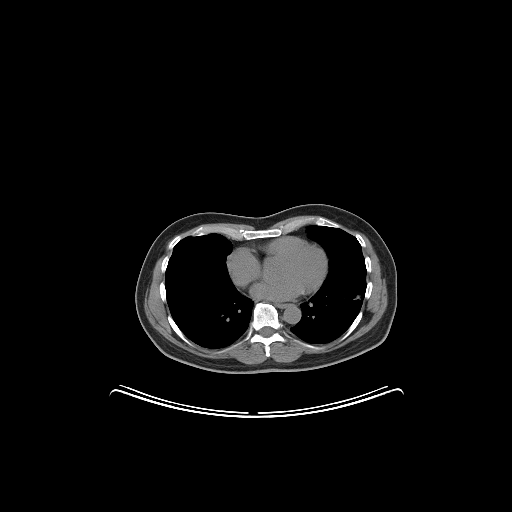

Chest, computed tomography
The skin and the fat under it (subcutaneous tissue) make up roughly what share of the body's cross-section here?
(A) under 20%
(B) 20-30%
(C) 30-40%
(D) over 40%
Answer: (B) 20-30%
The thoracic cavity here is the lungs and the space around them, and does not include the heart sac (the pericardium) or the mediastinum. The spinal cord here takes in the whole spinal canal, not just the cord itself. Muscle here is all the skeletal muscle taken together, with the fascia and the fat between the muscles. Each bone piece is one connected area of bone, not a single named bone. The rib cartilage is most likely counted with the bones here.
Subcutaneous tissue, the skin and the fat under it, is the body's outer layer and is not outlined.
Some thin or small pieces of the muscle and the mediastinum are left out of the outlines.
spinal cord: [[266,326],[268,326],[269,327],[271,327],[274,330],[274,332],[271,335],[270,335],[269,336],[268,336],[267,337],[266,337],[265,336],[263,336],[262,335],[261,335],[259,333],[259,331],[260,330],[260,329],[261,329],[263,327],[265,327]]
thoracic cavity 1: [[213,233],[223,235],[231,242],[232,250],[226,257],[226,268],[229,277],[236,289],[252,301],[253,307],[252,319],[249,321],[246,332],[240,340],[222,349],[207,350],[194,345],[173,319],[167,303],[165,273],[172,250],[182,239],[188,236],[203,236]]
thoracic cavity 2: [[308,225],[338,228],[353,236],[361,247],[366,271],[366,284],[358,313],[347,330],[334,343],[325,346],[309,343],[299,338],[295,338],[287,330],[295,326],[300,321],[302,318],[301,304],[307,301],[318,291],[328,273],[328,256],[319,243],[308,237]]
mediastinum 1: [[262,299],[277,301],[286,304],[297,304],[301,303],[300,304],[301,318],[295,325],[292,326],[289,329],[286,329],[284,327],[284,324],[279,318],[279,312],[277,308],[272,303],[265,301],[258,301],[255,303],[253,302],[252,300],[254,301],[260,301]]
mediastinum 2: [[304,226],[306,226],[306,235],[308,238],[307,238],[306,237],[305,237],[302,235],[298,235],[297,234],[286,234],[285,235],[282,235],[284,235],[285,234],[287,234],[290,232],[292,232],[295,230],[297,230],[299,228],[300,228],[301,227],[303,227]]
mediastinum 3: [[228,238],[229,238],[232,240],[235,240],[236,241],[240,241],[241,240],[254,240],[255,239],[261,239],[256,239],[255,240],[249,240],[248,241],[246,241],[245,242],[238,245],[236,247],[235,247],[233,249],[233,250],[233,244],[232,243],[232,242]]
muscle 1: [[340,224],[363,233],[368,238],[381,264],[388,294],[386,308],[376,324],[366,333],[340,348],[324,353],[303,354],[291,362],[277,362],[268,358],[257,364],[246,364],[234,358],[205,358],[193,354],[166,339],[151,325],[146,316],[144,310],[145,292],[152,278],[155,264],[163,254],[167,242],[171,239],[167,244],[167,249],[171,251],[171,254],[169,257],[166,255],[160,264],[160,271],[164,274],[164,281],[159,283],[158,291],[161,300],[167,304],[169,310],[166,316],[168,323],[173,331],[189,346],[195,346],[207,351],[217,350],[216,352],[220,354],[243,342],[247,341],[251,344],[258,342],[263,345],[264,355],[268,358],[270,356],[270,345],[273,342],[278,341],[285,343],[291,336],[294,338],[293,340],[295,342],[315,351],[320,351],[324,347],[334,344],[339,339],[342,341],[349,336],[359,324],[363,316],[361,309],[363,300],[367,300],[371,296],[373,283],[367,280],[367,273],[372,271],[372,261],[368,255],[364,256],[363,254],[362,248],[366,246],[365,240],[358,232],[352,235],[343,229]]
muscle 2: [[300,215],[309,215],[303,215],[302,216],[300,216],[299,217],[294,218],[283,224],[281,224],[279,226],[277,226],[276,227],[270,227],[268,228],[273,224],[279,221],[281,221],[284,219],[286,219],[290,217],[294,217],[295,216],[299,216]]
muscle 3: [[194,227],[196,227],[193,230],[192,230],[191,231],[190,231],[189,232],[188,232],[185,235],[184,235],[183,234],[182,234],[181,233],[180,233],[181,233],[184,231],[186,231],[187,230],[188,230],[191,228],[193,228]]
pericardium: [[286,235],[302,236],[319,244],[324,250],[327,256],[327,273],[317,291],[307,300],[302,302],[286,303],[277,300],[265,298],[262,298],[260,300],[254,300],[237,289],[230,277],[227,268],[227,257],[228,255],[235,248],[246,242],[262,239],[273,239]]
bones 1: [[310,215],[327,218],[338,223],[341,228],[308,224],[276,237],[240,240],[232,239],[215,232],[203,235],[188,235],[182,238],[171,250],[168,249],[169,242],[176,235],[181,234],[185,236],[202,225],[222,225],[248,230],[269,229],[279,227],[294,219]]
bones 2: [[258,302],[270,303],[276,308],[278,318],[290,337],[285,342],[278,340],[273,341],[269,345],[268,357],[265,355],[265,348],[261,342],[257,341],[251,343],[247,340],[218,353],[218,350],[222,350],[240,341],[244,337],[249,323],[253,319],[254,304]] with a hole at [[266,326],[268,326],[269,327],[271,327],[274,330],[274,332],[271,335],[270,335],[269,336],[268,336],[267,337],[266,337],[265,336],[263,336],[262,335],[261,335],[259,333],[259,331],[260,330],[260,329],[261,329],[263,327],[265,327]]
bones 3: [[169,314],[170,314],[172,319],[174,321],[176,325],[179,328],[179,329],[182,332],[182,333],[191,342],[191,343],[193,345],[192,346],[186,343],[174,331],[171,325],[169,323],[168,321],[168,319],[167,318],[167,316]]
bones 4: [[360,310],[361,310],[362,311],[362,316],[361,317],[358,324],[355,327],[355,328],[351,332],[351,333],[349,335],[348,335],[344,339],[343,339],[342,340],[340,340],[340,338],[348,330],[348,328],[351,325],[351,324],[353,322],[353,321],[359,313]]
bones 5: [[294,339],[299,339],[306,343],[308,343],[309,344],[312,344],[313,345],[317,345],[318,346],[320,346],[321,347],[323,347],[323,348],[320,350],[315,350],[312,348],[309,348],[308,347],[306,347],[305,346],[300,344],[298,342],[295,341],[294,340]]
bones 6: [[163,281],[164,282],[164,286],[165,287],[165,295],[166,296],[166,302],[164,302],[162,300],[162,299],[161,298],[161,296],[160,295],[160,292],[159,291],[159,285],[160,284],[160,283],[161,282],[162,282]]
bones 7: [[367,281],[370,281],[372,283],[372,289],[371,290],[371,293],[370,294],[370,296],[367,299],[365,299],[364,298],[364,295],[365,294],[365,290],[366,289],[366,285],[367,284]]
bones 8: [[365,256],[368,256],[369,257],[369,258],[370,259],[370,260],[371,261],[371,271],[370,272],[367,272],[367,271],[366,270],[366,266],[365,265]]
bones 9: [[166,256],[168,258],[169,258],[169,259],[168,260],[168,261],[167,262],[167,266],[166,267],[166,269],[165,270],[165,272],[164,273],[163,273],[161,271],[161,264],[162,263],[162,261],[163,260],[163,259]]
bones 10: [[358,233],[362,237],[362,238],[364,240],[364,241],[365,242],[365,246],[364,247],[362,247],[361,246],[361,245],[360,244],[360,243],[358,241],[358,240],[354,236],[355,235],[356,235]]
torso: [[310,203],[336,206],[363,218],[378,232],[393,257],[397,272],[397,306],[389,332],[379,345],[353,358],[316,369],[246,374],[200,369],[166,356],[154,345],[138,319],[135,307],[135,288],[144,258],[162,230],[182,217],[199,212],[222,212],[260,217]]